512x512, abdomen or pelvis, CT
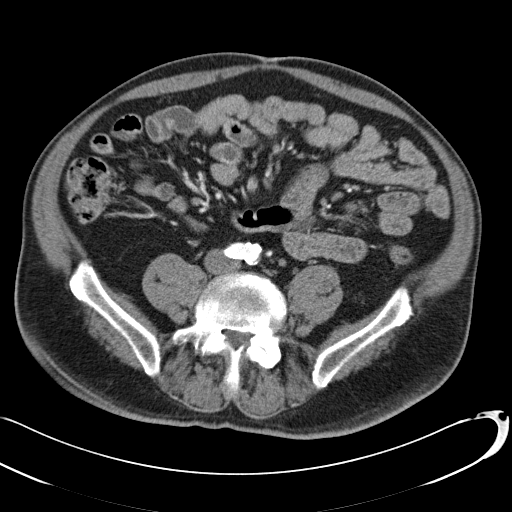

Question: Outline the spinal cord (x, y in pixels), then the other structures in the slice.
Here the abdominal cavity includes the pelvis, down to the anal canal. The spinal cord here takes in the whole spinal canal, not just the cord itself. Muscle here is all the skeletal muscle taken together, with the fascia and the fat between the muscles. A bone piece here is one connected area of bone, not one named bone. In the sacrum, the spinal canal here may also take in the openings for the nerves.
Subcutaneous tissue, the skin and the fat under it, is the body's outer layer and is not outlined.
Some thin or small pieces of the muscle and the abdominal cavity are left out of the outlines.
Answer: {"spinal_cord":[[[226,330],[229,330],[230,331],[236,331],[240,333],[249,333],[251,335],[251,336],[248,339],[247,342],[245,343],[243,343],[239,346],[238,346],[236,348],[235,348],[233,347],[227,341],[226,339],[227,338],[227,336],[224,332],[224,331]]],"torso":[[[219,51],[305,56],[359,71],[395,91],[425,116],[453,146],[473,178],[482,233],[464,351],[437,389],[375,425],[342,435],[289,439],[225,427],[137,421],[64,389],[38,364],[22,339],[14,309],[22,200],[43,148],[80,111],[130,77],[167,61]]],"muscle":[[[251,64],[276,64],[306,69],[392,102],[441,143],[461,169],[473,202],[475,220],[473,247],[466,270],[457,285],[434,298],[423,314],[406,328],[392,349],[357,372],[329,385],[334,376],[354,356],[414,315],[409,290],[400,284],[407,275],[435,260],[446,247],[453,231],[454,201],[447,171],[424,136],[404,119],[350,101],[278,69],[255,69],[198,87],[128,99],[102,113],[75,144],[59,177],[57,190],[59,210],[91,260],[81,259],[76,264],[69,276],[68,288],[76,299],[99,314],[126,341],[144,373],[111,355],[102,344],[88,335],[74,311],[61,279],[46,262],[34,232],[31,218],[32,194],[40,168],[60,138],[87,115],[123,93],[153,80],[187,72]],[[315,265],[337,272],[343,295],[333,314],[301,341],[317,346],[343,322],[383,305],[364,326],[316,355],[311,382],[322,390],[264,419],[245,415],[232,402],[219,411],[196,411],[161,391],[150,378],[161,370],[156,334],[109,295],[97,273],[160,331],[172,332],[174,345],[190,342],[196,355],[224,356],[228,365],[221,383],[232,396],[240,388],[244,358],[264,369],[281,360],[284,339],[276,333],[288,314],[284,286]],[[165,253],[173,253],[180,256],[186,262],[198,266],[206,275],[206,283],[205,284],[206,285],[201,291],[197,301],[193,307],[194,321],[186,326],[178,326],[176,325],[175,321],[166,313],[154,307],[147,299],[142,289],[142,278],[146,268],[152,260]]],"bones":[{"outer":[[237,272],[270,279],[285,297],[287,314],[275,333],[283,339],[279,343],[280,360],[264,368],[244,357],[239,364],[239,388],[232,395],[222,383],[229,365],[224,355],[201,356],[190,341],[174,344],[171,337],[175,330],[195,321],[194,307],[211,279]],"hole":[[226,330],[229,330],[230,331],[236,331],[240,333],[249,333],[251,335],[251,336],[248,339],[247,342],[245,343],[243,343],[239,346],[238,346],[236,348],[235,348],[233,347],[227,341],[226,339],[227,338],[227,336],[224,332],[224,331]]},[[81,260],[88,260],[91,263],[103,288],[108,295],[125,311],[155,334],[160,346],[159,347],[161,355],[160,370],[157,375],[153,377],[148,376],[145,373],[142,365],[127,341],[99,313],[84,302],[76,298],[71,292],[69,288],[69,279],[77,264]],[[399,285],[405,286],[408,290],[411,298],[410,301],[412,305],[413,315],[400,325],[392,328],[383,335],[378,337],[354,355],[342,366],[324,388],[320,389],[316,388],[312,382],[311,374],[317,355],[327,346],[359,330],[368,324],[379,313],[386,301]]],"abdominal_cavity":[[[255,70],[409,123],[451,190],[452,231],[437,257],[317,345],[300,337],[342,302],[332,266],[298,271],[283,286],[286,300],[265,275],[207,283],[198,265],[162,253],[141,278],[149,303],[182,327],[162,331],[101,278],[58,203],[69,156],[110,108]]]}